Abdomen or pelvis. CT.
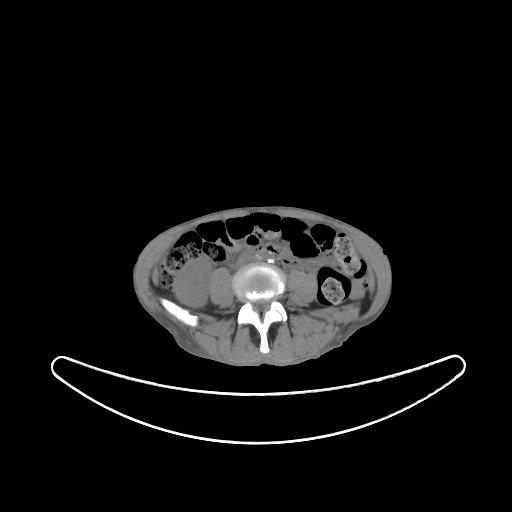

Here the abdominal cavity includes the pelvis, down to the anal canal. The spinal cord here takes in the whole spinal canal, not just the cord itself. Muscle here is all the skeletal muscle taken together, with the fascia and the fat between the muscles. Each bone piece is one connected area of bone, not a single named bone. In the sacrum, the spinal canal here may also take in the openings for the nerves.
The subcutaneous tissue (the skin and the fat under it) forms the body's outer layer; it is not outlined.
{"abdominal_cavity":[[[257,211],[323,222],[349,234],[373,272],[370,296],[336,308],[310,307],[316,297],[312,272],[292,267],[285,275],[272,264],[253,262],[234,274],[224,266],[211,271],[207,295],[216,307],[211,312],[188,309],[166,297],[158,267],[176,235],[200,222]]],"torso":[[[252,205],[291,205],[317,210],[352,224],[373,237],[387,254],[393,276],[392,293],[381,314],[357,330],[341,346],[317,359],[293,365],[233,366],[192,355],[178,346],[172,336],[144,310],[134,293],[131,273],[136,256],[151,238],[170,226],[208,212]]],"muscle":[[[277,208],[320,215],[369,238],[387,263],[387,293],[372,314],[344,325],[317,353],[303,358],[277,358],[268,353],[268,331],[272,323],[288,319],[287,311],[278,298],[285,291],[286,274],[290,269],[313,274],[315,297],[310,308],[336,309],[371,296],[375,282],[368,261],[349,233],[323,221],[264,210],[200,221],[176,234],[161,256],[157,280],[159,291],[164,296],[159,296],[158,301],[180,322],[194,328],[199,318],[189,310],[211,313],[217,307],[208,295],[210,274],[216,268],[227,268],[233,275],[232,288],[242,301],[236,322],[238,325],[250,324],[256,329],[261,353],[250,361],[210,356],[177,325],[146,303],[136,281],[140,258],[154,240],[179,226],[226,211]]],"spinal_cord":[[[260,299],[264,299],[265,300],[269,300],[269,301],[270,302],[269,303],[269,307],[266,310],[265,310],[263,312],[258,312],[257,311],[256,311],[253,308],[253,305],[252,304],[252,302],[253,302],[254,301],[256,301],[257,300],[259,300]]],"bones":[{"outer":[[253,263],[272,265],[285,276],[284,291],[277,298],[286,311],[287,319],[274,321],[270,324],[267,331],[269,347],[267,353],[262,353],[259,349],[260,334],[257,329],[250,323],[238,324],[237,322],[237,315],[243,301],[233,288],[233,278],[238,270]],"hole":[[260,299],[264,299],[265,300],[269,300],[269,301],[270,302],[269,303],[269,307],[266,310],[265,310],[263,312],[258,312],[257,311],[256,311],[253,308],[253,305],[252,304],[252,302],[253,302],[254,301],[256,301],[257,300],[259,300]]},[[161,296],[169,299],[171,301],[181,306],[183,308],[187,309],[192,314],[196,315],[198,318],[198,323],[197,325],[194,327],[189,326],[183,323],[181,321],[180,321],[176,317],[175,317],[172,314],[171,314],[168,311],[167,311],[159,301],[159,297]]]}